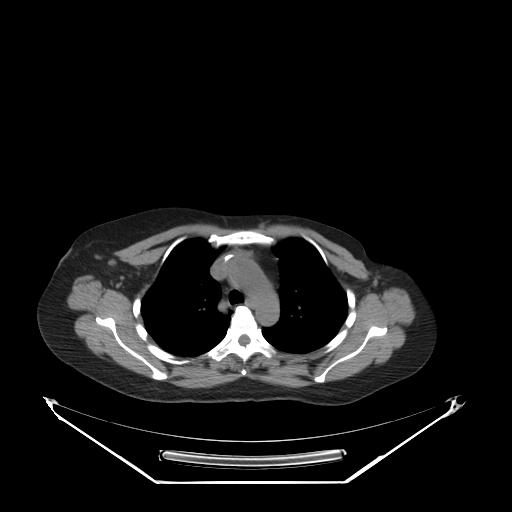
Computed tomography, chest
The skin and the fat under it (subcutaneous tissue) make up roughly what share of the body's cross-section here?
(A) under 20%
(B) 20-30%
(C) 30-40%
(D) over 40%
Answer: (C) 30-40%
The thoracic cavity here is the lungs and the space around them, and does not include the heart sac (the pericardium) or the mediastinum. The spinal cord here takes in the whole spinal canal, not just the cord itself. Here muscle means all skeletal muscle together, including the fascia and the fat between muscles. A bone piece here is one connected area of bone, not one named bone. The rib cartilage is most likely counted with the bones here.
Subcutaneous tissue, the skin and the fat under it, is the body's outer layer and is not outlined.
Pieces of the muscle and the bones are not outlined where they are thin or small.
The bones appear in 9 outlined pieces: piece 1: 241 305; 246 306; 251 311; 257 325; 261 328; 262 335; 276 349; 276 353; 269 358; 260 352; 256 352; 251 355; 245 363; 234 353; 229 353; 218 361; 210 357; 199 358; 199 355; 214 347; 225 336; 230 325; 232 314; 236 307 with a hole at 242 335; 246 335; 249 338; 249 342; 248 343; 247 343; 245 345; 242 345; 241 344; 240 344; 239 343; 239 338; piece 2: 242 229; 251 229; 257 231; 265 235; 273 237; 277 241; 275 244; 271 246; 263 244; 258 244; 257 243; 250 243; 249 244; 222 245; 217 248; 215 248; 207 241; 207 238; 212 233; 215 233; 222 236; 229 234; 234 231; piece 3: 96 316; 102 318; 113 318; 115 322; 116 332; 122 342; 142 356; 156 368; 166 372; 168 376; 167 378; 163 380; 153 379; 151 377; 152 371; 149 367; 141 360; 125 350; 117 342; 112 331; 108 327; 100 325; 96 322; piece 4: 347 287; 349 287; 353 291; 355 295; 355 307; 354 308; 355 310; 355 319; 352 325; 348 329; 347 334; 343 340; 332 350; 325 353; 323 347; 344 326; 343 325; 344 322; 348 315; 349 307; 348 306; 348 300; 345 291; 345 289; piece 5: 137 322; 141 323; 145 328; 148 334; 147 340; 150 343; 157 345; 163 350; 173 355; 175 355; 179 358; 191 358; 192 359; 188 363; 173 364; 169 362; 166 362; 152 354; 146 346; 147 343; 139 336; 136 331; 135 324; piece 6: 372 325; 375 325; 379 327; 386 326; 387 327; 387 331; 385 334; 381 336; 372 336; 357 354; 346 360; 339 362; 333 366; 327 372; 324 382; 319 383; 316 382; 313 379; 315 376; 319 375; 331 363; 357 349; 363 342; 369 328; piece 7: 302 232; 309 237; 310 237; 312 239; 313 239; 320 246; 320 247; 323 250; 324 252; 324 254; 327 259; 327 261; 328 262; 328 265; 327 265; 324 262; 321 255; 316 249; 316 248; 301 236; 301 233; piece 8: 181 236; 185 236; 186 238; 182 241; 181 241; 179 243; 178 243; 171 250; 171 251; 169 253; 169 254; 161 265; 160 264; 161 259; 164 253; 166 251; 166 250; 168 248; 170 244; 175 239; piece 9: 137 295; 138 295; 140 297; 140 298; 141 299; 141 303; 140 304; 140 315; 137 318; 136 318; 134 316; 134 314; 133 313; 133 301; 134 300; 134 298. The mediastinum is outlined by 250 244; 271 247; 272 253; 278 258; 279 318; 277 322; 270 327; 260 327; 252 311; 246 305; 241 304; 236 306; 233 312; 231 309; 226 312; 222 311; 220 308; 220 300; 222 296; 221 286; 212 277; 209 270; 216 257; 226 246. The thoracic cavity appears in 2 outlined pieces: piece 1: 189 238; 206 239; 215 249; 225 246; 215 257; 208 270; 211 277; 220 286; 219 308; 224 313; 229 310; 232 313; 224 336; 214 346; 198 355; 182 357; 163 349; 149 335; 141 315; 141 304; 142 298; 156 279; 161 266; 172 250; piece 2: 288 237; 301 237; 315 248; 323 262; 329 267; 336 280; 344 290; 347 300; 348 312; 337 333; 323 346; 305 353; 294 353; 277 349; 265 338; 262 332; 263 327; 270 328; 274 326; 280 318; 279 258; 273 253; 272 246; 279 240. The spinal cord is outlined by 242 335; 246 335; 249 338; 249 342; 248 343; 247 343; 245 345; 242 345; 241 344; 240 344; 239 343; 239 338. The torso is outlined by 164 206; 222 214; 291 214; 347 232; 372 259; 400 267; 415 279; 437 319; 438 336; 431 356; 413 375; 360 400; 336 406; 293 400; 152 402; 124 395; 79 373; 51 352; 39 332; 36 307; 41 293; 60 258; 80 233; 112 219. The muscle is outlined by 189 223; 211 223; 231 228; 251 228; 260 223; 293 223; 318 232; 347 249; 370 272; 366 280; 350 278; 359 297; 368 291; 381 293; 392 286; 403 288; 408 293; 415 308; 415 317; 406 329; 404 343; 381 365; 371 365; 344 379; 325 382; 333 367; 357 355; 372 337; 381 337; 387 333; 386 325; 372 324; 357 348; 334 360; 312 378; 318 383; 287 387; 244 376; 213 387; 186 388; 164 381; 169 376; 166 371; 124 343; 113 317; 96 315; 95 322; 108 328; 116 342; 151 371; 149 378; 97 356; 74 331; 75 315; 67 304; 74 280; 91 274; 105 287; 131 298; 143 279; 144 270; 119 260; 113 252; 172 227, around a hole outlined by 242 229; 251 229; 278 241; 300 237; 302 232; 320 246; 340 286; 344 290; 349 287; 355 295; 355 319; 343 340; 326 353; 322 346; 305 353; 277 349; 269 358; 256 352; 245 363; 234 353; 218 361; 190 356; 192 359; 183 364; 166 362; 152 354; 136 331; 135 324; 144 323; 141 315; 134 316; 133 301; 137 295; 141 299; 156 279; 170 244; 181 236; 206 239; 212 233; 222 236.